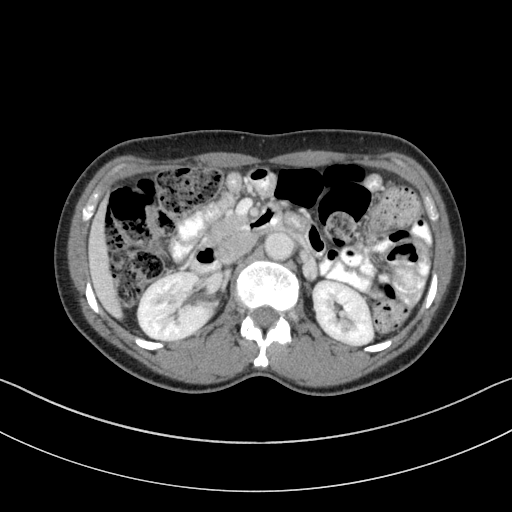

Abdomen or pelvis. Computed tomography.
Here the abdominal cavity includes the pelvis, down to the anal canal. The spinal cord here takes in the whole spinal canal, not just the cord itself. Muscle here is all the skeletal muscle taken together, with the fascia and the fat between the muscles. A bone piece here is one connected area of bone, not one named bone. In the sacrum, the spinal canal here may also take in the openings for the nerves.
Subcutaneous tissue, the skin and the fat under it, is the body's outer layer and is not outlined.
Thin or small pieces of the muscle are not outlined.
The abdominal cavity is outlined by (356, 347) (399, 332) (429, 285) (431, 221) (419, 191) (401, 176) (340, 161) (315, 167) (174, 166) (120, 179) (98, 201) (86, 238) (90, 280) (102, 309) (135, 335) (164, 344) (194, 335) (222, 311) (238, 272) (254, 259) (269, 259) (296, 274) (306, 313) (323, 333). The bones appear in 7 outlined pieces: piece 1: (263, 367) (268, 364) (265, 352) (271, 342) (284, 344) (291, 341) (291, 328) (286, 316) (293, 317) (290, 310) (297, 301) (299, 282) (295, 274) (280, 263) (254, 260) (239, 272) (235, 287) (237, 299) (245, 313) (240, 325) (240, 335) (256, 341) (259, 352) (253, 364), around a hole outlined by (262, 328) (266, 328) (272, 325) (274, 325) (275, 322) (277, 320) (279, 316) (279, 313) (277, 311) (276, 311) (274, 309) (273, 309) (269, 306) (261, 306) (260, 307) (258, 307) (254, 309) (251, 313) (252, 318) (255, 324); piece 2: (83, 221) (87, 221) (89, 220) (90, 218) (93, 215) (93, 212) (95, 209) (95, 206) (97, 203) (97, 201) (100, 195) (97, 189) (96, 189) (91, 194) (86, 204) (83, 207) (82, 209) (82, 220); piece 3: (99, 314) (101, 313) (101, 311) (98, 305) (98, 303) (95, 298) (95, 295) (93, 292) (91, 283) (90, 281) (88, 280) (86, 283) (86, 288) (85, 289) (85, 295) (86, 296) (86, 298) (87, 299) (87, 301) (88, 302) (88, 304) (89, 306) (96, 313) (98, 313); piece 4: (425, 308) (428, 308) (430, 306) (430, 305) (432, 303) (432, 301) (436, 293) (436, 290) (437, 289) (437, 275) (436, 273) (434, 272) (432, 273) (432, 277) (430, 281) (430, 285) (428, 288) (428, 291) (427, 292) (427, 294) (425, 298) (425, 304) (424, 305) (424, 307); piece 5: (432, 221) (435, 221) (438, 218) (438, 212) (435, 207) (434, 202) (433, 201) (431, 196) (429, 194) (426, 194) (425, 195) (424, 195) (424, 196) (423, 197) (423, 198) (424, 199) (424, 204) (425, 205) (426, 210) (428, 213) (428, 215) (429, 216) (430, 219); piece 6: (150, 350) (154, 350) (157, 348) (162, 347) (163, 346) (163, 344) (161, 343) (159, 343) (158, 342) (154, 342) (153, 341) (146, 340) (143, 338) (140, 338) (137, 336) (135, 336) (134, 337) (134, 340) (135, 342) (139, 346) (143, 348) (145, 348) (146, 349) (149, 349); piece 7: (370, 352) (376, 352) (377, 351) (379, 351) (380, 350) (382, 350) (386, 348) (391, 343) (391, 341) (392, 340) (391, 338) (387, 339) (386, 340) (384, 340) (381, 342) (379, 342) (378, 343) (370, 345) (369, 346) (366, 346) (363, 349) (365, 351) (369, 351). The muscle is outlined by (312, 387) (331, 386) (348, 382) (363, 376) (378, 368) (415, 344) (425, 333) (431, 322) (431, 320) (435, 315) (435, 313) (440, 305) (443, 296) (447, 289) (447, 286) (451, 279) (452, 269) (453, 268) (453, 260) (455, 256) (455, 249) (454, 248) (453, 237) (449, 224) (448, 215) (444, 202) (437, 187) (426, 170) (412, 157) (398, 151) (384, 151) (377, 155) (371, 155) (370, 154) (358, 154) (357, 153) (347, 153) (346, 152) (337, 152) (336, 151) (327, 151) (326, 150) (311, 150) (310, 149) (280, 154) (270, 158) (263, 158) (262, 159) (247, 154) (235, 153) (234, 152) (207, 152) (186, 157) (174, 158) (173, 159) (164, 159) (159, 161) (158, 160) (143, 158) (133, 154) (126, 154) (118, 156) (104, 164) (88, 182) (75, 206) (75, 209) (71, 219) (67, 240) (67, 246) (66, 247) (69, 275) (72, 280) (74, 287) (78, 292) (78, 301) (81, 308) (81, 311) (87, 322) (98, 334) (108, 342) (133, 357) (153, 371) (167, 377) (183, 382) (196, 383) (197, 384) (207, 384) (208, 383) (219, 382) (231, 378) (236, 374) (250, 367) (251, 368) (269, 369) (298, 384) with a hole at (263, 367) (271, 342) (291, 341) (286, 316) (293, 317) (300, 289) (306, 313) (324, 334) (370, 352) (386, 348) (424, 298) (424, 307) (430, 306) (437, 289) (431, 222) (438, 218) (431, 196) (422, 198) (397, 174) (340, 161) (315, 167) (174, 166) (120, 179) (100, 198) (96, 189) (82, 209) (82, 220) (91, 220) (89, 306) (99, 314) (101, 307) (135, 335) (139, 346) (154, 350) (215, 319) (234, 283) (245, 313) (240, 335) (256, 341) (253, 364). The torso is outlined by (316, 396) (358, 390) (404, 370) (430, 346) (457, 303) (466, 269) (464, 230) (453, 194) (427, 155) (405, 138) (381, 131) (313, 128) (266, 134) (197, 129) (127, 139) (93, 159) (66, 197) (54, 239) (56, 287) (74, 327) (115, 365) (168, 390) (208, 393) (264, 376). The spinal cord is outlined by (262, 328) (266, 328) (272, 325) (274, 325) (275, 322) (277, 320) (279, 316) (279, 313) (277, 311) (276, 311) (274, 309) (273, 309) (269, 306) (261, 306) (260, 307) (258, 307) (254, 309) (251, 313) (252, 318) (255, 324).